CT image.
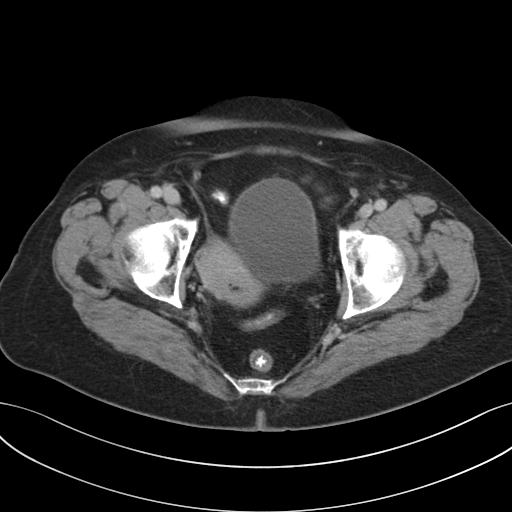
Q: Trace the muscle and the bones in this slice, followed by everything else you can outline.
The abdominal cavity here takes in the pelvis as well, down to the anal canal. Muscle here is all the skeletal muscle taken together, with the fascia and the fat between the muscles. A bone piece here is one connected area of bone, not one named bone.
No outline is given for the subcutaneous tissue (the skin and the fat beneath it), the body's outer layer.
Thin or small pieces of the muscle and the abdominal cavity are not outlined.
A: The muscle is outlined by 256,144 299,148 453,208 473,233 480,273 462,319 420,350 307,397 270,396 336,319 343,274 346,320 386,303 408,263 390,237 339,224 349,191 334,169 299,156 242,153 200,168 189,217 130,229 123,262 140,291 178,309 185,266 184,305 194,309 222,375 241,395 267,395 225,401 114,349 87,328 51,263 67,200 110,176 153,173 182,153. The bones appear in 3 outlined pieces: piece 1: 175,217 185,219 195,217 198,218 197,231 191,243 190,250 186,258 179,279 179,298 183,305 182,308 178,308 165,301 152,298 140,290 133,281 129,273 129,270 124,262 124,237 130,230 148,223 165,221; piece 2: 338,226 341,226 347,229 358,229 368,234 371,233 381,234 390,238 401,248 405,255 407,263 406,272 400,287 386,302 372,310 351,316 346,319 341,318 347,304 348,289 346,279 343,273 338,249 337,239; piece 3: 224,372 228,373 232,377 236,379 248,378 249,377 261,378 262,379 271,379 274,381 283,377 285,377 286,379 283,382 278,384 271,391 271,393 269,395 262,392 253,393 250,391 245,394 241,394 223,375. The abdominal cavity is outlined by 242,154 302,158 341,175 348,191 336,214 342,282 335,319 307,353 277,378 240,376 227,371 208,345 195,309 185,305 185,264 199,225 199,218 190,217 188,210 202,177 201,168 207,162. The torso is outlined by 244,94 287,96 324,105 341,113 359,130 407,149 448,179 511,241 511,361 419,402 365,419 301,430 237,431 183,425 134,413 7,359 0,350 0,279 25,231 68,172 89,152 117,135 182,116 219,98.